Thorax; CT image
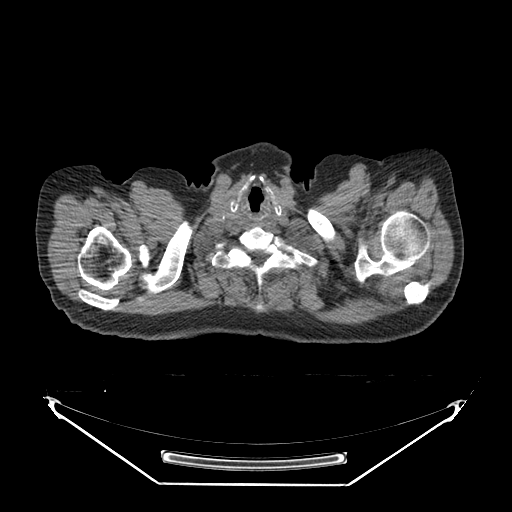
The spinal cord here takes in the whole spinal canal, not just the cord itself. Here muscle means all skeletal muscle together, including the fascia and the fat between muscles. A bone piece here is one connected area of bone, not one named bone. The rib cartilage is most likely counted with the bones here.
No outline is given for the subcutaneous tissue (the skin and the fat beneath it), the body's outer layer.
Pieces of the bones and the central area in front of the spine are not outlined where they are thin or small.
Outlines (x, y in pixels):
torso: 257 141; 289 152; 291 177; 306 187; 328 154; 375 159; 369 194; 374 241; 399 282; 446 308; 429 327; 391 342; 350 344; 261 335; 150 341; 108 335; 128 313; 139 271; 143 207; 129 177; 157 166; 207 184; 214 158
bones 1: 399 210; 405 210; 413 213; 425 222; 430 232; 429 247; 410 267; 390 275; 373 274; 363 282; 359 282; 356 278; 353 264; 357 254; 358 239; 362 238; 366 242; 368 255; 375 261; 379 260; 383 254; 379 239; 382 224; 390 215
bones 2: 254 226; 260 226; 280 236; 316 258; 317 263; 313 266; 302 264; 298 269; 274 267; 263 275; 261 290; 258 289; 255 275; 247 267; 222 268; 212 265; 206 257; 215 251; 216 243; 226 242; 227 250; 238 243; 238 236; 243 231, around a hole outlined by 255 250; 261 250; 262 251; 263 251; 266 254; 267 254; 267 257; 265 259; 265 260; 261 264; 256 264; 255 263; 254 263; 253 262; 253 260; 252 259; 252 258; 249 255; 249 254; 248 253; 248 252; 251 252; 252 251; 254 251
bones 3: 96 224; 102 225; 107 228; 114 235; 118 241; 124 247; 128 249; 131 254; 131 258; 132 259; 131 267; 126 273; 119 278; 118 282; 110 290; 101 290; 96 286; 88 283; 81 277; 78 270; 77 255; 85 241; 85 238; 88 232
bones 4: 184 219; 186 219; 193 226; 193 229; 184 255; 183 265; 180 275; 177 280; 167 289; 165 289; 155 294; 147 294; 139 286; 140 282; 139 276; 143 272; 151 272; 156 268; 156 266; 160 261; 164 253; 166 246; 171 236; 178 225
bones 5: 310 207; 312 207; 316 209; 321 213; 322 213; 329 220; 329 221; 331 223; 335 230; 335 237; 333 240; 329 242; 326 242; 323 239; 323 238; 312 227; 312 226; 308 221; 307 217; 306 216; 306 214; 307 213; 307 209
bones 6: 82 288; 86 289; 91 292; 98 293; 101 295; 107 296; 108 297; 119 297; 120 299; 119 300; 118 304; 113 310; 108 310; 107 311; 105 311; 104 310; 102 310; 99 308; 94 307; 91 305; 89 305; 83 302; 78 296; 78 291
bones 7: 429 280; 431 280; 432 281; 432 283; 429 287; 429 291; 425 299; 421 303; 419 304; 414 304; 413 305; 409 305; 407 303; 406 299; 404 296; 404 293; 403 292; 403 288; 404 286; 407 283; 411 281; 419 281; 422 283; 425 283
bones 8: 251 175; 255 175; 257 177; 262 176; 265 182; 273 191; 278 203; 282 207; 282 211; 280 215; 276 214; 271 195; 258 177; 253 179; 241 193; 240 199; 238 201; 237 209; 234 212; 230 210; 229 208; 230 200; 235 196; 238 190
bones 9: 141 243; 144 243; 146 245; 147 245; 149 249; 149 251; 150 252; 150 255; 151 256; 151 258; 149 262; 149 265; 146 268; 144 268; 142 266; 142 264; 139 260; 139 258; 138 257; 138 255; 139 254; 138 247
left arm: 419 146; 429 146; 435 148; 440 151; 447 159; 452 172; 456 201; 463 229; 464 261; 462 272; 455 294; 446 307; 428 298; 425 295; 413 290; 395 277; 381 255; 373 233; 370 208; 370 194; 375 160; 381 159; 394 152; 404 151
muscle: 251 159; 269 163; 287 176; 308 202; 347 179; 350 167; 357 162; 365 164; 371 176; 379 181; 393 174; 408 176; 429 168; 436 179; 440 207; 452 229; 454 258; 447 279; 423 304; 400 314; 355 325; 234 308; 134 316; 95 311; 74 303; 57 288; 49 267; 47 240; 52 204; 58 194; 90 186; 122 194; 139 179; 149 186; 170 190; 189 209; 195 209; 208 196; 222 171; 238 161 with holes at 399 210; 405 210; 413 213; 425 222; 430 232; 429 247; 410 267; 390 275; 373 274; 363 282; 359 282; 356 278; 353 264; 357 254; 358 239; 362 238; 366 242; 368 255; 375 261; 379 260; 383 254; 379 239; 382 224; 390 215 and at 254 226; 260 226; 280 236; 316 258; 317 263; 313 266; 302 264; 298 269; 274 267; 263 275; 261 290; 258 289; 255 275; 247 267; 222 268; 212 265; 206 257; 215 251; 216 243; 226 242; 227 250; 238 243; 238 236; 243 231 and at 96 224; 102 225; 107 228; 114 235; 118 241; 124 247; 128 249; 131 254; 131 258; 132 259; 131 267; 126 273; 119 278; 118 282; 110 290; 101 290; 96 286; 88 283; 81 277; 78 270; 77 255; 85 241; 85 238; 88 232 and at 251 175; 255 175; 257 177; 262 176; 265 182; 273 191; 278 203; 290 210; 291 216; 289 218; 289 224; 285 228; 279 226; 273 221; 250 221; 247 219; 238 219; 234 221; 228 220; 225 218; 224 211; 229 200; 237 193; 238 190 and at 184 219; 186 219; 193 226; 193 229; 184 255; 183 265; 180 275; 177 280; 167 289; 165 289; 155 294; 147 294; 139 286; 140 282; 139 276; 143 272; 151 272; 156 268; 156 266; 160 261; 164 253; 166 246; 171 236; 178 225 and at 310 207; 312 207; 316 209; 321 213; 322 213; 329 220; 329 221; 331 223; 335 230; 335 237; 333 240; 329 242; 326 242; 323 239; 323 238; 312 227; 312 226; 308 221; 307 217; 306 216; 306 214; 307 213; 307 209 and at 82 288; 86 289; 91 292; 98 293; 101 295; 107 296; 108 297; 119 297; 120 299; 119 300; 118 304; 113 310; 108 310; 107 311; 105 311; 104 310; 102 310; 99 308; 94 307; 91 305; 89 305; 83 302; 78 296; 78 291 and at 429 280; 431 280; 432 281; 432 283; 429 287; 429 291; 425 299; 421 303; 419 304; 414 304; 413 305; 409 305; 407 303; 406 299; 404 296; 404 293; 403 292; 403 288; 404 286; 407 283; 411 281; 419 281; 422 283; 425 283 and at 141 243; 144 243; 146 245; 147 245; 149 249; 149 251; 150 252; 150 255; 151 256; 151 258; 149 262; 149 265; 146 268; 144 268; 142 266; 142 264; 139 260; 139 258; 138 257; 138 255; 139 254; 138 247 and at 258 302; 262 302; 262 304; 263 305; 263 307; 264 308; 264 309; 263 310; 263 311; 261 311; 260 312; 258 312; 255 309; 255 306; 256 305; 256 304
right arm: 90 163; 99 167; 101 173; 115 183; 121 183; 129 178; 137 190; 142 207; 140 254; 135 286; 126 315; 107 335; 92 332; 71 323; 64 312; 55 307; 49 291; 39 274; 36 255; 35 220; 38 195; 43 181; 51 172; 59 168
central area in front of the spine: 256 178; 258 178; 269 193; 274 212; 277 216; 282 214; 282 206; 290 210; 291 216; 289 218; 289 224; 285 228; 273 221; 250 221; 247 219; 238 219; 234 221; 225 218; 224 211; 228 202; 229 210; 234 213; 238 209; 242 193
spinal cord: 255 250; 261 250; 262 251; 263 251; 266 254; 267 254; 267 257; 265 259; 265 260; 261 264; 256 264; 255 263; 254 263; 253 262; 253 260; 252 259; 252 258; 249 255; 249 254; 248 253; 248 252; 251 252; 252 251; 254 251